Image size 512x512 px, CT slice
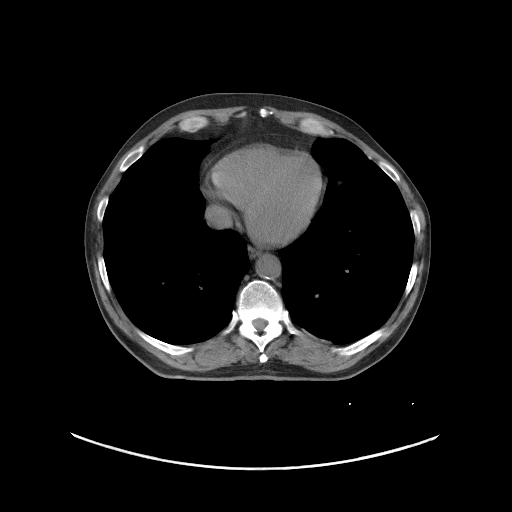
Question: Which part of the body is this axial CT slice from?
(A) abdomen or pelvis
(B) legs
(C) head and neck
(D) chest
Answer: (D) chest
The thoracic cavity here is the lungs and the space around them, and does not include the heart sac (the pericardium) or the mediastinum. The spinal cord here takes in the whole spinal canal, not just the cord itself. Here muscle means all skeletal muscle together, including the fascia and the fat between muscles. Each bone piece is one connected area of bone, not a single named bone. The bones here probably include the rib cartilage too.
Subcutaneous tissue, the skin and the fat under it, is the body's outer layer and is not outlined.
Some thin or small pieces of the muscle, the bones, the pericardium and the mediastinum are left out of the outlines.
The spinal cord is outlined by 258,318 260,318 261,319 263,319 264,320 265,320 266,321 266,322 267,323 266,324 266,325 263,328 263,329 262,330 262,332 258,332 258,331 255,328 255,327 253,325 253,323 252,322 255,319 257,319. The torso is outlined by 213,92 280,94 343,113 362,126 398,162 424,199 431,220 431,258 423,297 399,343 385,357 360,373 335,381 166,378 150,371 128,352 105,323 92,291 84,255 84,221 90,195 120,147 147,119 178,101. The muscle appears in 3 outlined pieces: piece 1: 241,105 259,108 258,113 247,115 243,110 237,117 230,116 225,123 212,125 208,125 210,121 204,115 188,116 177,122 178,129 174,129 147,148 140,144 137,147 131,149 124,156 119,164 118,170 122,173 118,182 109,196 106,194 99,200 96,208 96,218 102,227 102,254 98,254 96,258 101,281 109,294 112,291 125,315 137,327 136,333 144,341 165,353 180,356 194,350 189,345 206,341 219,333 225,336 236,329 240,336 257,347 260,363 236,362 203,372 183,370 168,365 131,339 107,312 98,291 92,262 95,251 93,207 98,193 119,159 139,140 166,120 188,110; piece 2: 395,168 407,183 425,218 424,265 418,293 410,311 387,339 345,369 320,372 278,359 267,362 265,347 284,331 291,335 302,336 303,332 300,329 304,330 317,338 339,346 332,346 330,350 346,357 363,350 386,333 386,329 382,326 397,307 402,296 406,297 415,283 418,263 413,261 414,243 421,229 417,211 414,208 408,209 397,185 401,179; piece 3: 263,106 271,106 288,111 312,112 320,115 358,137 391,164 382,159 376,163 352,141 343,137 333,136 335,134 334,130 326,127 316,118 311,116 300,118 297,122 298,129 282,123 272,116 274,113 272,110. The bones appear in 12 outlined pieces: piece 1: 254,279 263,280 275,288 281,296 291,321 302,332 302,335 296,335 284,330 279,336 269,341 263,350 267,356 267,361 264,363 259,361 258,347 250,339 240,335 236,328 225,335 220,333 231,320 238,292; inner edge: 258,318 260,318 261,319 263,319 264,320 265,320 266,321 266,322 267,323 266,324 266,325 263,328 263,329 262,330 262,332 258,332 258,331 255,328 255,327 253,325 253,323 252,322 255,319 257,319; piece 2: 381,327 383,327 385,329 385,333 383,335 379,337 375,341 372,342 363,349 349,356 340,355 336,352 333,352 331,350 331,348 332,347 339,347 340,346 345,346 346,345 351,344 367,336 372,332 375,331; piece 3: 138,328 150,336 156,338 161,341 173,345 191,346 193,348 193,350 190,352 187,352 184,354 181,354 180,355 173,355 170,354 157,348 155,346 150,344 144,340 137,333 136,330; piece 4: 305,117 311,117 314,119 318,120 320,122 321,122 326,128 333,130 334,134 332,136 329,136 328,137 323,137 319,135 315,135 314,134 307,133 306,132 304,132 300,130 299,129 298,122 300,119 304,118; piece 5: 192,116 204,116 205,117 206,117 209,121 207,126 206,126 203,128 198,129 196,131 193,131 192,132 190,132 189,131 182,131 181,130 179,130 179,129 178,128 178,122 185,118 187,118 188,117 191,117; piece 6: 140,145 144,145 145,146 146,148 145,151 137,160 136,160 131,165 130,165 123,172 121,172 119,170 119,167 120,166 120,164 121,162 123,160 125,156 131,150 133,150 137,148; piece 7: 98,255 102,255 103,259 104,260 105,268 106,269 106,272 107,273 107,277 108,278 108,280 110,284 110,287 111,288 111,291 109,293 104,286 104,284 102,281 102,279 99,272 98,262 97,261; piece 8: 380,160 382,160 383,161 385,161 387,163 388,163 390,165 391,165 397,172 397,173 399,176 399,178 400,179 399,180 399,182 397,184 396,183 395,183 391,179 391,178 380,168 380,167 377,164 377,162; piece 9: 413,262 416,262 417,263 417,273 415,277 415,280 414,281 414,283 409,293 406,296 404,296 403,294 404,293 404,291 405,290 405,287 407,283 407,280 409,276 410,269 411,268 411,266; piece 10: 411,209 414,209 416,211 419,218 419,224 420,225 420,229 419,230 419,233 417,237 415,237 414,235 414,232 413,231 413,226 412,225 412,222 411,221 411,218 410,217 410,214 409,213 409,211; piece 11: 106,195 108,196 108,201 107,202 107,205 104,211 104,214 103,215 103,218 102,219 102,221 101,222 99,222 97,218 97,208 98,207 98,204 100,200 104,196; piece 12: 262,107 263,108 264,108 265,109 266,109 269,111 272,111 273,112 273,113 271,115 269,115 266,117 262,117 261,116 260,116 259,115 259,113 258,112 259,111 259,109. The pericardium is outlined by 256,134 281,134 298,138 308,147 311,156 321,169 327,183 321,204 305,231 288,245 276,249 260,248 250,241 245,235 232,227 229,219 223,212 212,206 210,207 200,189 200,181 204,164 208,158 230,140. The mediastinum appears in 3 outlined pieces: piece 1: 250,114 258,114 262,118 271,116 286,126 321,137 313,142 311,153 309,147 294,135 256,133 233,138 206,159 199,188 199,168 208,151 210,141 165,136 174,130 196,132 208,126 225,124 230,117 244,118; piece 2: 240,234 245,236 250,242 260,249 265,249 266,250 279,249 278,253 281,262 281,289 280,293 269,282 258,278 254,278 248,281 238,291 240,283 250,266 250,261 248,258 248,254 247,253 247,243; piece 3: 205,199 205,200 208,203 208,205 210,208 212,207 214,209 216,209 218,211 223,213 226,216 230,223 230,225 231,226 230,228 226,228 224,227 223,228 224,229 219,229 218,230 210,227 207,224 204,219. The thoracic cavity appears in 2 outlined pieces: piece 1: 164,137 209,141 198,168 198,188 204,199 203,219 214,230 231,229 237,232 246,243 249,261 227,325 212,337 188,345 161,340 131,321 112,290 103,256 102,222 110,195 122,174 151,145; piece 2: 322,137 343,138 352,142 396,184 408,210 414,236 412,262 403,293 396,307 380,327 345,345 333,344 296,326 281,295 282,262 279,250 294,242 306,231 323,204 328,185 328,178 324,170 312,155 314,142.